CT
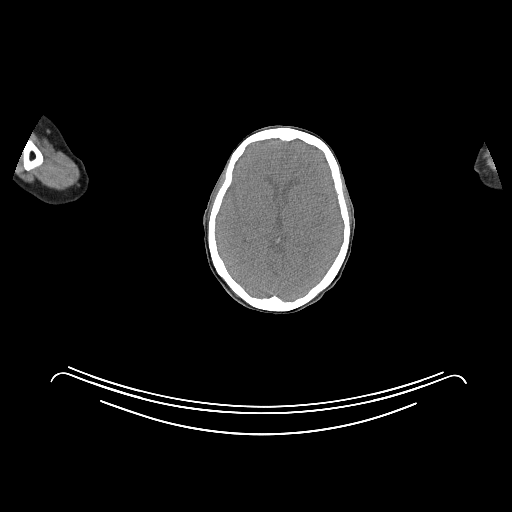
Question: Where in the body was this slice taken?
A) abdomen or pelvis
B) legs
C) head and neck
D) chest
Answer: C) head and neck
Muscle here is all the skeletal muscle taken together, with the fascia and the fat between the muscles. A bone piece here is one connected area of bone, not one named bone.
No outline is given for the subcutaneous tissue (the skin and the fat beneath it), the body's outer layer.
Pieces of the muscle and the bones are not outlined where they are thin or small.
The brain is outlined by (270, 139) (284, 142) (297, 139) (322, 152) (329, 168) (342, 221) (341, 242) (332, 262) (314, 285) (303, 295) (291, 300) (285, 300) (276, 294) (256, 296) (249, 293) (229, 272) (219, 253) (216, 239) (216, 218) (224, 197) (233, 182) (233, 172) (237, 161) (250, 144). The muscle appears in 3 outlined pieces: piece 1: (32, 132) (40, 134) (44, 132) (54, 147) (69, 157) (80, 168) (81, 176) (71, 187) (64, 190) (55, 190) (43, 186) (37, 181) (34, 183) (25, 182) (17, 175) (16, 167) (19, 159) (22, 160) (23, 168) (26, 171) (37, 168) (44, 162) (42, 152) (30, 136); piece 2: (487, 149) (488, 149) (488, 151) (492, 158) (491, 159) (491, 160) (493, 163) (493, 164) (492, 165) (492, 167) (495, 170) (491, 170) (489, 168) (488, 168) (486, 166) (486, 165) (485, 164) (485, 159) (484, 158) (483, 158) (483, 154) (484, 154) (487, 151); piece 3: (223, 174) (224, 175) (224, 178) (223, 179) (223, 181) (220, 185) (219, 188) (217, 190) (217, 191) (214, 196) (214, 198) (213, 199) (213, 200) (212, 201) (212, 203) (211, 204) (211, 207) (210, 208) (210, 211) (209, 212) (209, 215) (208, 216) (208, 218) (208, 213) (209, 212) (209, 207) (210, 206) (210, 205) (211, 204) (211, 202) (213, 199) (213, 197) (214, 196) (214, 193) (216, 190) (216, 188) (217, 187) (217, 186) (219, 183) (219, 181). The right arm is outlined by (43, 115) (47, 116) (57, 126) (71, 151) (76, 156) (80, 158) (84, 163) (86, 171) (89, 176) (89, 185) (87, 191) (79, 199) (63, 205) (52, 205) (42, 202) (31, 194) (20, 188) (14, 183) (12, 179) (16, 170) (16, 167) (22, 151) (34, 128). The head is outlined by (274, 124) (297, 126) (312, 131) (323, 139) (333, 150) (341, 168) (341, 172) (353, 204) (355, 228) (351, 253) (340, 279) (317, 302) (307, 309) (287, 315) (258, 315) (258, 313) (233, 300) (210, 271) (202, 242) (202, 218) (214, 184) (236, 146) (250, 132) (258, 128). The bones appear in 2 outlined pieces: piece 1: (285, 126) (318, 137) (327, 144) (335, 156) (343, 178) (343, 195) (350, 221) (350, 235) (344, 260) (335, 277) (323, 290) (296, 308) (286, 311) (270, 311) (250, 305) (234, 293) (218, 274) (209, 252) (208, 219) (215, 196) (225, 178) (224, 169) (234, 149) (255, 132), around a hole outlined by (270, 139) (284, 142) (297, 139) (322, 152) (329, 168) (342, 221) (341, 242) (332, 262) (314, 285) (303, 295) (291, 300) (285, 300) (276, 294) (256, 296) (249, 293) (229, 272) (219, 253) (216, 239) (216, 218) (224, 197) (233, 182) (233, 172) (237, 161) (250, 144); piece 2: (30, 137) (31, 138) (32, 141) (41, 152) (41, 153) (43, 156) (43, 162) (39, 166) (38, 166) (37, 167) (35, 167) (30, 170) (26, 170) (24, 168) (24, 166) (23, 165) (23, 160) (21, 158) (20, 158) (20, 156) (22, 153) (22, 151) (23, 150) (28, 139). The left arm is outlined by (483, 142) (484, 142) (486, 147) (488, 149) (488, 151) (492, 158) (491, 160) (493, 163) (493, 165) (499, 178) (499, 181) (501, 184) (501, 190) (500, 191) (492, 190) (484, 186) (480, 181) (478, 177) (478, 175) (473, 169) (473, 164) (474, 163) (477, 152) (481, 144).